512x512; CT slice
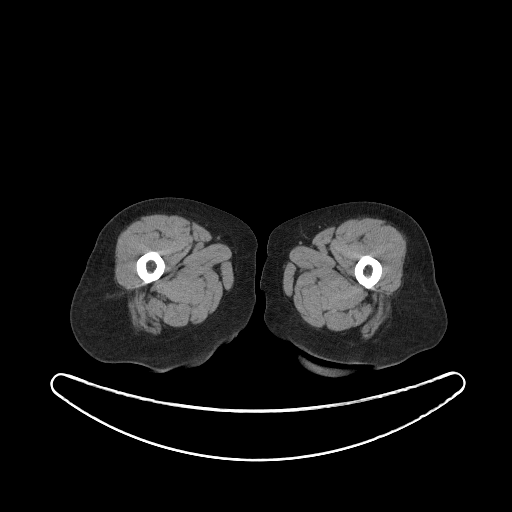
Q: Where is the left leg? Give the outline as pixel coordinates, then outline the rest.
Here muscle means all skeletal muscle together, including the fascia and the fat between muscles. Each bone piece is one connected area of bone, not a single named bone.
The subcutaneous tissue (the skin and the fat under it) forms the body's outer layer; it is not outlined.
A: The left leg is outlined by (350, 201) (375, 201) (394, 206) (421, 226) (431, 248) (448, 323) (437, 345) (398, 364) (380, 369) (356, 365) (359, 369) (352, 374) (326, 377) (305, 369) (296, 357) (302, 352) (268, 329) (263, 317) (265, 296) (260, 289) (260, 278) (267, 240) (275, 227) (311, 210); inner edge: (306, 356) (308, 356) (314, 359) (316, 359) (317, 360) (320, 360) (324, 362) (328, 362) (329, 363) (336, 364) (337, 366) (334, 366) (333, 365) (327, 365) (326, 364) (322, 364) (321, 363) (316, 362) (312, 360) (307, 356). The bones appear in 2 outlined pieces: piece 1: (150, 250) (152, 250) (153, 251) (157, 251) (159, 252) (160, 255) (162, 257) (164, 261) (165, 267) (164, 268) (164, 271) (163, 273) (159, 278) (154, 281) (152, 281) (149, 283) (144, 284) (143, 283) (143, 281) (137, 274) (137, 272) (136, 271) (136, 261) (141, 255); piece 2: (367, 254) (372, 256) (374, 258) (378, 260) (380, 262) (381, 266) (382, 267) (382, 272) (381, 273) (381, 276) (379, 280) (373, 286) (373, 288) (372, 289) (368, 289) (360, 284) (355, 278) (355, 276) (354, 275) (354, 267) (355, 266) (355, 264) (362, 255) (366, 255). The muscle appears in 2 outlined pieces: piece 1: (363, 217) (385, 220) (401, 232) (406, 240) (402, 284) (390, 298) (390, 316) (379, 331) (365, 340) (351, 336) (335, 336) (332, 333) (317, 331) (309, 326) (291, 306) (289, 298) (283, 292) (282, 285) (284, 266) (293, 247) (309, 240) (329, 226) (337, 226) (351, 218); inner edge: (367, 254) (372, 256) (374, 258) (378, 260) (380, 262) (381, 266) (382, 267) (382, 272) (381, 273) (381, 276) (379, 280) (373, 286) (373, 288) (372, 289) (368, 289) (360, 284) (355, 278) (355, 276) (354, 275) (354, 267) (355, 266) (355, 264) (362, 255) (366, 255); piece 2: (158, 213) (179, 215) (194, 221) (208, 230) (217, 239) (225, 242) (232, 252) (230, 260) (234, 279) (231, 288) (221, 299) (216, 310) (202, 323) (190, 329) (184, 328) (152, 335) (137, 331) (132, 325) (127, 295) (114, 279) (115, 246) (119, 234) (129, 224) (141, 216), around a hole outlined by (150, 250) (152, 250) (153, 251) (157, 251) (159, 252) (160, 255) (162, 257) (164, 261) (165, 267) (164, 268) (164, 271) (163, 273) (159, 278) (154, 281) (152, 281) (149, 283) (144, 284) (143, 283) (143, 281) (137, 274) (137, 272) (136, 271) (136, 261) (141, 255). The right leg is outlined by (165, 196) (189, 198) (209, 204) (233, 214) (251, 228) (257, 240) (256, 301) (251, 317) (235, 338) (219, 347) (207, 360) (194, 368) (157, 373) (135, 364) (108, 363) (94, 359) (76, 341) (70, 326) (69, 310) (73, 293) (96, 238) (102, 227) (120, 210) (141, 200).